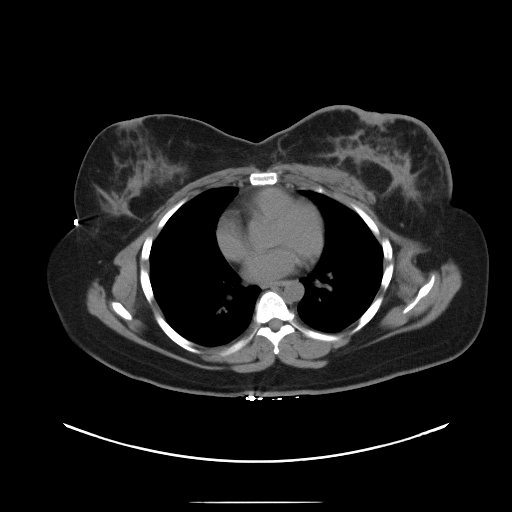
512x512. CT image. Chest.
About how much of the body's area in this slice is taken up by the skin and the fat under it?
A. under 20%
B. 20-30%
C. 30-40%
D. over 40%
D. over 40%
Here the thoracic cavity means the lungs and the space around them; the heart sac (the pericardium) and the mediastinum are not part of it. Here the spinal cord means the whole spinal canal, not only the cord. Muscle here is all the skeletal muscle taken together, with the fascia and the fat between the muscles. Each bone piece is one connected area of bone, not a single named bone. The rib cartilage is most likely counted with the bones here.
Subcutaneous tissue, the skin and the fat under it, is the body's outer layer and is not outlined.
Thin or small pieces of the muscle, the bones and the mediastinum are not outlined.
{"thoracic_cavity":[[[228,185],[236,187],[237,192],[218,218],[215,226],[217,245],[241,283],[246,287],[258,286],[260,291],[254,304],[251,324],[229,343],[209,347],[195,344],[175,330],[165,319],[154,296],[149,274],[149,258],[153,241],[181,206],[208,189]],[[301,190],[313,190],[329,196],[353,210],[363,220],[382,248],[383,270],[380,286],[375,297],[356,321],[334,333],[313,329],[299,320],[296,315],[298,304],[305,293],[305,287],[301,279],[314,269],[321,257],[325,242],[323,216],[315,203],[299,193]]],"mediastinum":[[[238,274],[251,282],[269,282],[275,280],[293,280],[303,277],[300,279],[300,281],[304,287],[304,293],[297,304],[296,311],[295,312],[290,309],[283,297],[274,290],[268,289],[264,291],[259,296],[261,288],[258,285],[255,284],[246,286],[244,285]],[[281,182],[285,182],[286,183],[289,183],[290,184],[295,184],[296,185],[301,186],[304,188],[311,189],[301,189],[298,191],[298,193],[296,193],[291,189],[288,189],[286,187],[284,187],[281,185],[273,185],[275,185]],[[242,183],[248,183],[252,186],[260,186],[256,186],[253,188],[246,189],[244,191],[240,193],[239,195],[238,195],[236,197],[234,197],[238,192],[238,188],[234,185],[230,185],[232,184],[233,185],[234,184],[241,184]]],"pericardium":[[[261,186],[281,186],[288,190],[291,190],[296,194],[304,196],[318,208],[324,223],[324,242],[320,257],[309,273],[293,279],[251,281],[240,275],[228,263],[222,253],[218,245],[216,236],[216,227],[220,216],[232,199],[236,198],[246,190]]],"bones":[{"outer":[[268,290],[274,291],[282,297],[300,323],[319,332],[340,335],[340,339],[336,341],[314,339],[296,329],[286,334],[279,341],[277,354],[274,353],[273,345],[266,337],[254,335],[238,350],[227,355],[220,355],[221,351],[250,331],[255,304],[258,298]],"hole":[[274,318],[276,318],[277,319],[279,319],[281,321],[282,321],[282,322],[283,323],[279,327],[279,328],[278,329],[277,329],[276,330],[273,330],[271,328],[270,328],[268,326],[268,325],[267,324],[267,323],[270,320],[271,320],[272,319],[273,319]]},[[154,312],[157,312],[160,314],[164,318],[168,324],[175,331],[176,331],[184,338],[192,342],[194,344],[194,346],[200,351],[200,353],[194,353],[193,352],[191,352],[181,347],[175,342],[174,342],[161,329],[161,328],[158,325],[154,317]],[[384,238],[387,238],[391,244],[391,247],[392,248],[392,259],[391,261],[393,264],[393,272],[392,273],[392,276],[389,282],[389,284],[385,290],[381,287],[381,280],[383,276],[384,268],[388,264],[389,261],[384,259],[383,248],[380,243],[381,240]],[[272,171],[273,172],[277,172],[278,173],[279,173],[279,179],[278,180],[278,182],[277,183],[276,183],[275,184],[273,184],[272,185],[252,185],[249,183],[249,181],[248,180],[248,177],[249,176],[249,175],[251,173],[252,173],[253,172],[271,172]],[[381,295],[383,297],[382,301],[381,302],[381,304],[378,310],[373,316],[373,317],[359,330],[358,330],[354,333],[351,333],[352,329],[357,324],[357,321],[358,319],[369,307],[369,306],[372,303],[374,299],[376,297],[380,296]],[[141,266],[143,266],[147,270],[148,270],[148,274],[149,275],[149,280],[150,281],[150,284],[151,285],[151,288],[152,289],[152,291],[153,292],[153,296],[154,297],[151,303],[149,303],[146,299],[145,295],[143,292],[141,284],[140,283],[140,267]],[[432,275],[435,276],[435,279],[434,280],[433,285],[430,289],[430,290],[428,292],[428,293],[426,295],[422,297],[418,301],[418,302],[410,310],[409,310],[406,313],[403,313],[402,312],[403,309],[415,298],[419,289],[430,279]],[[350,203],[353,203],[358,206],[361,209],[362,209],[373,220],[379,230],[379,235],[378,236],[376,237],[376,236],[373,233],[373,232],[370,229],[370,228],[367,225],[364,220],[353,209],[352,209],[350,207]],[[184,198],[186,199],[186,201],[182,205],[181,205],[170,216],[170,217],[166,221],[166,222],[161,228],[161,229],[160,230],[158,230],[157,228],[158,223],[159,221],[162,218],[162,217],[165,214],[165,213],[180,200]],[[112,301],[117,301],[118,302],[121,303],[122,304],[122,305],[130,313],[130,314],[132,316],[132,319],[131,320],[128,320],[127,319],[125,319],[124,318],[123,318],[121,316],[120,316],[118,314],[117,314],[114,311],[114,310],[111,305],[111,302]],[[148,236],[152,236],[153,237],[153,240],[152,241],[152,243],[151,244],[151,247],[150,248],[150,251],[149,252],[149,257],[148,258],[148,260],[141,260],[141,258],[140,257],[141,255],[141,249],[142,248],[143,243],[146,237]]],"spinal_cord":[[[274,318],[276,318],[277,319],[279,319],[281,321],[282,321],[282,322],[283,323],[279,327],[279,328],[278,329],[277,329],[276,330],[273,330],[271,328],[270,328],[268,326],[268,325],[267,324],[267,323],[270,320],[271,320],[272,319],[273,319]]],"torso":[[[335,104],[413,116],[426,123],[441,143],[452,173],[452,201],[477,220],[489,256],[484,321],[462,354],[344,391],[220,397],[134,379],[90,357],[69,339],[48,292],[46,263],[54,243],[80,222],[73,190],[97,133],[117,121],[171,113],[258,142]]],"muscle":[{"outer":[[277,162],[282,163],[295,162],[315,166],[335,167],[340,170],[347,172],[359,179],[369,190],[371,190],[373,192],[375,196],[375,201],[374,203],[369,205],[374,211],[379,220],[383,224],[394,232],[404,237],[417,241],[422,246],[426,246],[431,249],[434,249],[444,255],[448,256],[450,259],[452,259],[460,269],[462,276],[462,283],[448,306],[437,318],[427,325],[425,325],[420,328],[397,333],[386,338],[381,339],[367,346],[357,349],[352,349],[345,353],[341,353],[335,357],[333,357],[326,365],[319,368],[296,367],[283,363],[277,359],[272,365],[263,370],[243,373],[229,369],[206,369],[201,368],[172,358],[122,336],[107,326],[97,317],[91,314],[88,311],[86,306],[86,293],[92,281],[94,279],[98,278],[99,282],[106,290],[110,289],[114,281],[114,278],[119,271],[118,269],[119,268],[113,263],[113,259],[116,254],[135,239],[152,222],[153,213],[176,191],[179,190],[188,183],[215,171],[218,171],[229,167],[241,167],[251,164],[254,165],[260,170],[264,171],[271,165]],"holes":[[[272,171],[279,173],[279,183],[308,189],[321,186],[332,198],[349,208],[350,203],[355,204],[373,220],[379,230],[377,240],[380,243],[387,238],[392,248],[391,279],[385,290],[380,286],[375,294],[383,297],[381,304],[356,332],[351,333],[356,321],[335,332],[341,336],[336,341],[314,339],[296,329],[279,341],[277,354],[266,337],[254,335],[241,348],[223,356],[220,352],[246,335],[251,324],[229,343],[210,347],[195,344],[200,353],[191,352],[174,342],[155,320],[154,312],[162,316],[162,310],[154,298],[148,302],[140,283],[140,267],[149,269],[149,261],[140,257],[143,243],[148,236],[156,238],[159,221],[180,200],[188,201],[211,188],[248,183],[253,172]],[[432,275],[435,276],[435,279],[434,280],[433,285],[430,289],[430,290],[428,292],[428,293],[426,295],[422,297],[418,301],[418,302],[410,310],[409,310],[406,313],[403,313],[402,312],[403,309],[415,298],[419,289],[430,279]],[[112,301],[117,301],[118,302],[121,303],[122,304],[122,305],[130,313],[130,314],[132,316],[132,319],[131,320],[128,320],[127,319],[125,319],[124,318],[123,318],[121,316],[120,316],[118,314],[117,314],[114,311],[114,310],[111,305],[111,302]]]}]}